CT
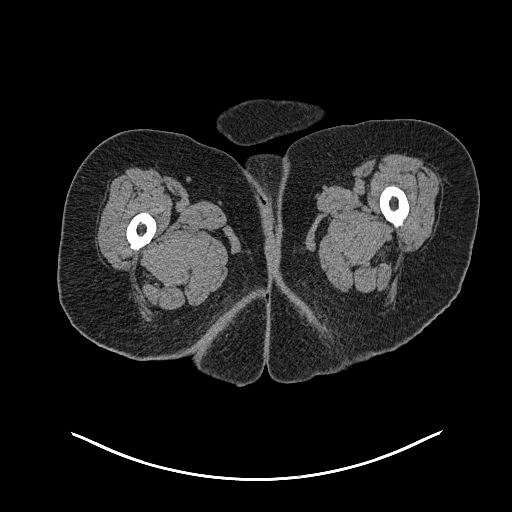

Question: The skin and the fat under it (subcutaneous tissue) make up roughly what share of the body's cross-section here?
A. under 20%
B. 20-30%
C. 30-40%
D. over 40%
Answer: D. over 40%
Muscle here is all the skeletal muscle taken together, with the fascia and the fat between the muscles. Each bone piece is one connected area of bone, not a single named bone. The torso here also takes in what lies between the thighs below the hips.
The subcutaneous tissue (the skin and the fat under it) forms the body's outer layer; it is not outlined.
The right leg is outlined by 139,128 181,133 229,154 249,173 264,199 270,217 271,268 264,290 234,310 211,339 191,358 188,356 177,359 140,361 101,347 83,336 70,323 58,297 58,249 64,202 70,183 82,161 100,142 118,132. The left leg is outlined by 395,118 412,118 434,123 452,133 465,146 473,161 479,185 477,229 461,290 451,304 407,343 354,365 311,313 280,282 269,277 272,268 273,227 279,203 279,189 285,171 285,152 299,138 321,129 371,119. The bones appear in 2 outlined pieces: piece 1: 392,184 400,188 405,193 408,203 409,204 409,212 403,221 403,224 401,226 399,226 398,227 395,227 390,222 387,221 385,219 384,216 381,212 381,210 379,206 379,198 380,197 381,192 384,189 384,188; piece 2: 140,212 148,212 150,214 150,215 154,218 154,219 156,222 156,231 155,232 152,239 149,243 146,244 138,250 134,250 130,247 130,244 128,242 128,241 126,238 126,228 127,227 130,220 135,215 136,215. The muscle appears in 2 outlined pieces: piece 1: 144,161 155,164 166,175 179,180 187,191 196,197 209,200 221,207 241,247 231,278 218,299 200,315 168,325 148,323 142,317 128,289 113,269 105,266 95,247 97,217 105,198 108,182 130,164, around a hole outlined by 140,212 148,212 150,214 150,215 154,218 154,219 156,222 156,231 155,232 152,239 149,243 146,244 138,250 134,250 130,247 130,244 128,242 128,241 126,238 126,228 127,227 130,220 135,215 136,215; piece 2: 394,152 421,158 435,167 442,182 442,198 437,227 433,236 426,247 419,250 413,256 407,267 403,292 393,305 387,306 347,296 334,289 320,275 304,242 310,224 315,194 322,190 332,179 362,159 with a hole at 392,184 400,188 405,193 408,203 409,204 409,212 403,221 403,224 401,226 399,226 398,227 395,227 390,222 387,221 385,219 384,216 381,212 381,210 379,206 379,198 380,197 381,192 384,189 384,188. The torso appears in 3 outlined pieces: piece 1: 269,278 280,283 310,313 339,351 353,365 351,368 333,374 317,375 303,382 284,384 274,381 269,376 267,368 265,367 261,376 255,382 240,387 208,376 196,369 191,359 212,339 234,311 265,290; piece 2: 252,98 293,99 294,100 302,100 313,102 317,103 325,108 327,111 327,114 322,120 306,129 290,133 283,136 276,137 263,143 247,146 237,145 232,143 226,137 216,130 215,119 217,115 223,109 243,100; piece 3: 262,152 271,152 272,153 277,153 280,155 284,154 284,171 282,180 278,189 278,203 274,215 273,226 272,226 269,209 265,202 265,199 256,185 250,173 242,164 244,163 245,159 249,155 254,153 261,153.